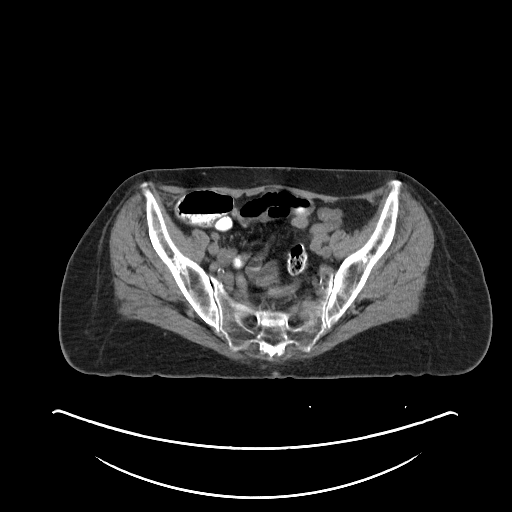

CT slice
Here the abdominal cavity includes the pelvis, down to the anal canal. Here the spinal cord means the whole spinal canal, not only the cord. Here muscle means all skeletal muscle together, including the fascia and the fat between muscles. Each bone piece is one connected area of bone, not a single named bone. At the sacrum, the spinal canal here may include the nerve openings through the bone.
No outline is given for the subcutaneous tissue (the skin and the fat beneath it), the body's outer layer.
{"abdominal_cavity":[[[270,187],[325,202],[380,199],[359,229],[352,233],[338,229],[329,237],[327,247],[341,262],[323,290],[297,301],[289,311],[256,308],[234,299],[200,265],[208,235],[197,228],[184,233],[169,216],[161,195],[161,191],[176,194],[198,188],[253,195]]],"spinal_cord":[[[271,335],[274,335],[275,336],[277,336],[278,337],[279,337],[281,339],[281,340],[280,340],[278,342],[277,342],[275,344],[272,344],[271,343],[270,343],[269,342],[268,342],[266,340],[265,340],[263,338],[264,337],[266,337],[267,336],[270,336]],[[250,318],[251,318],[252,318],[253,319],[254,320],[254,321],[255,322],[256,323],[256,324],[256,325],[256,326],[255,326],[254,325],[253,325],[252,324],[251,324],[250,324],[249,323],[248,323],[248,322],[247,321],[248,320],[249,319]],[[294,319],[295,319],[296,319],[297,319],[297,320],[296,321],[295,322],[294,323],[293,323],[293,322],[293,321],[293,320]]],"torso":[[[227,165],[391,169],[404,172],[419,181],[456,218],[474,246],[482,265],[492,307],[491,339],[482,360],[470,371],[458,375],[329,379],[178,378],[122,374],[102,376],[73,368],[66,361],[59,343],[60,287],[73,250],[112,192],[125,179],[143,170]]],"bones":[{"outer":[[393,179],[402,182],[395,232],[361,290],[308,352],[288,344],[281,355],[272,357],[256,342],[233,351],[224,336],[196,313],[151,243],[140,187],[144,181],[149,183],[177,248],[219,280],[234,300],[256,309],[294,313],[322,300],[330,274],[367,241]],"holes":[[[271,335],[274,335],[275,336],[277,336],[278,337],[279,337],[281,339],[281,340],[280,340],[278,342],[277,342],[275,344],[272,344],[271,343],[270,343],[269,342],[268,342],[266,340],[265,340],[263,338],[264,337],[266,337],[267,336],[270,336]],[[250,318],[251,318],[252,318],[253,319],[254,320],[254,321],[255,322],[256,323],[256,324],[256,325],[256,326],[255,326],[254,325],[253,325],[252,324],[251,324],[250,324],[249,323],[248,323],[248,322],[247,321],[248,320],[249,319]]]}],"muscle":[[[138,182],[154,251],[195,313],[233,352],[256,343],[269,358],[281,356],[288,345],[308,353],[352,304],[392,243],[403,182],[429,217],[435,239],[419,311],[373,326],[319,355],[282,363],[246,363],[154,324],[123,318],[114,301],[108,239],[116,212]],[[390,178],[394,178],[389,181],[390,189],[384,200],[372,232],[359,248],[348,254],[342,260],[338,260],[330,251],[328,247],[330,237],[338,230],[342,230],[347,234],[352,234],[355,230],[359,230],[365,225],[374,214],[381,199],[377,196],[368,199],[357,198],[325,201],[317,197],[298,194],[284,187],[273,186],[266,187],[253,194],[242,193],[239,195],[226,192],[215,187],[198,187],[176,193],[161,190],[160,195],[168,216],[184,234],[189,236],[197,229],[203,231],[207,235],[208,242],[200,263],[185,255],[173,241],[165,223],[161,208],[149,187],[150,183],[148,181],[163,185],[183,187],[226,186],[231,188],[249,188],[269,182],[327,195],[353,195],[378,188]],[[321,291],[323,291],[324,293],[324,295],[322,299],[320,300],[318,300],[294,312],[291,312],[290,311],[290,308],[297,302],[299,301],[302,301],[306,298],[307,298],[309,296],[310,296],[312,298],[315,298],[318,295],[317,293]]]}